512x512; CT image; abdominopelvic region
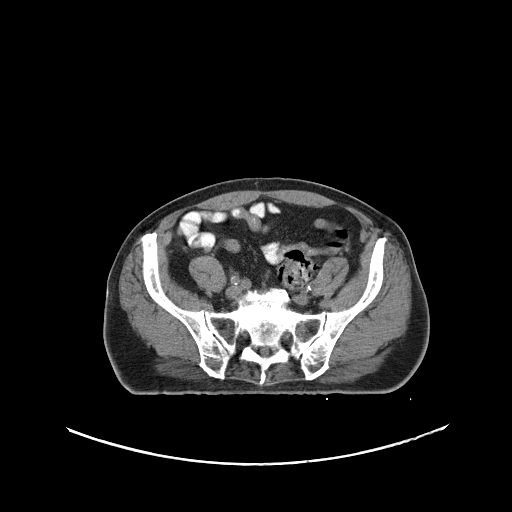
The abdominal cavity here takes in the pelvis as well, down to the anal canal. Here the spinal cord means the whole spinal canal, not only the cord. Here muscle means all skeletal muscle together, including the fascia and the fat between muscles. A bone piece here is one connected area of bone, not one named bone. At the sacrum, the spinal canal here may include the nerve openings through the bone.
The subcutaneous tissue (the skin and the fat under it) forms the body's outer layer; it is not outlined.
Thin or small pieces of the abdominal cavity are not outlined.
Outlines (x, y in pixels):
torso: 256 176; 295 177; 329 185; 349 193; 385 213; 403 230; 409 241; 426 294; 429 307; 430 332; 427 349; 422 361; 402 386; 382 394; 135 395; 120 384; 106 353; 102 331; 106 281; 122 241; 128 232; 147 214; 180 195; 215 182
abdominal cavity: 261 196; 316 208; 335 205; 361 225; 359 267; 345 282; 347 260; 326 260; 311 281; 311 292; 323 299; 308 312; 291 308; 288 292; 276 286; 247 289; 234 309; 216 311; 205 297; 170 274; 167 245; 181 214; 194 208; 238 208, around a hole outlined by 205 255; 207 256; 213 256; 219 262; 219 263; 221 264; 223 271; 225 274; 225 283; 223 287; 220 291; 216 292; 213 295; 208 295; 204 291; 204 290; 198 285; 192 276; 189 268; 190 262; 192 259; 199 256; 204 256
bones: 154 231; 161 286; 186 310; 232 311; 247 290; 270 287; 300 313; 346 309; 366 287; 379 237; 383 280; 316 378; 306 380; 290 357; 271 364; 260 385; 260 366; 241 360; 240 347; 215 378; 199 366; 185 325; 144 284; 140 238, around holes outlined by 286 331; 290 331; 293 334; 293 341; 292 342; 292 344; 289 347; 285 347; 282 344; 282 343; 281 342; 281 337; 282 336; 282 335 and by 242 332; 246 332; 249 335; 249 337; 250 338; 250 341; 247 344; 246 344; 245 345; 242 345; 239 342; 239 335 and by 265 346; 266 347; 269 347; 270 348; 270 349; 271 350; 271 351; 272 352; 271 353; 271 354; 270 355; 269 355; 268 356; 262 356; 258 352; 258 351; 257 350; 258 349; 258 348; 259 347; 264 347
spinal cord 1: 286 331; 290 331; 293 334; 293 341; 292 342; 292 344; 289 347; 285 347; 282 344; 282 343; 281 342; 281 337; 282 336; 282 335
spinal cord 2: 242 332; 246 332; 249 335; 249 337; 250 338; 250 341; 247 344; 246 344; 245 345; 242 345; 239 342; 239 335
spinal cord 3: 265 346; 266 347; 269 347; 270 348; 270 349; 271 350; 271 351; 272 352; 271 353; 271 354; 270 355; 269 355; 268 356; 262 356; 258 352; 258 351; 257 350; 258 349; 258 348; 259 347; 264 347
muscle 1: 284 189; 314 192; 351 206; 391 232; 402 249; 411 280; 405 333; 377 370; 352 382; 315 380; 330 367; 330 356; 346 326; 379 293; 388 239; 379 236; 375 240; 365 287; 352 305; 309 313; 324 299; 312 292; 312 281; 326 261; 346 260; 345 283; 360 267; 365 245; 360 240; 362 225; 350 211; 335 204; 316 207; 261 195; 228 209; 190 208; 171 227; 171 240; 166 245; 171 278; 205 298; 214 310; 186 309; 176 304; 162 286; 157 233; 145 232; 139 238; 141 274; 147 293; 184 325; 197 347; 198 366; 211 377; 195 380; 160 374; 154 367; 154 350; 133 330; 119 302; 121 270; 138 236; 168 214; 222 193
muscle 2: 205 255; 207 256; 213 256; 219 262; 219 263; 221 264; 223 271; 225 274; 225 283; 223 287; 220 291; 216 292; 213 295; 208 295; 204 291; 204 290; 198 285; 192 276; 189 268; 190 262; 192 259; 199 256; 204 256
muscle 3: 290 358; 293 358; 295 360; 298 360; 299 362; 299 367; 301 371; 303 373; 303 378; 305 380; 286 381; 285 382; 276 383; 273 385; 262 386; 262 385; 266 380; 266 371; 270 367; 270 366; 273 364; 276 364; 277 363; 286 363
muscle 4: 238 348; 240 348; 238 353; 238 358; 241 361; 253 362; 259 366; 260 369; 260 374; 258 380; 258 384; 259 385; 250 382; 247 382; 243 380; 238 380; 237 379; 225 379; 226 377; 225 373; 229 361; 230 359; 237 353